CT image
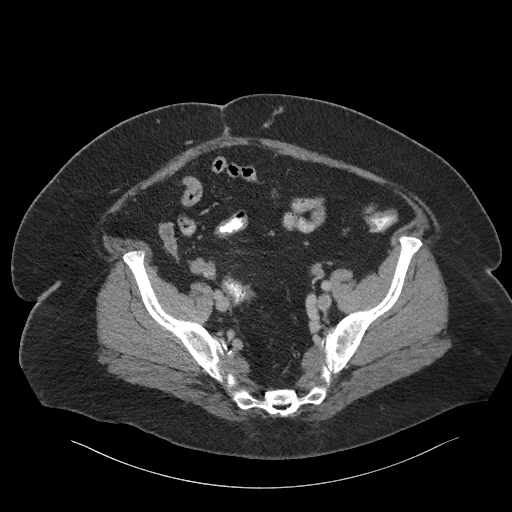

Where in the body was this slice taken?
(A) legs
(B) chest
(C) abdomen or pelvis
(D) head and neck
(C) abdomen or pelvis
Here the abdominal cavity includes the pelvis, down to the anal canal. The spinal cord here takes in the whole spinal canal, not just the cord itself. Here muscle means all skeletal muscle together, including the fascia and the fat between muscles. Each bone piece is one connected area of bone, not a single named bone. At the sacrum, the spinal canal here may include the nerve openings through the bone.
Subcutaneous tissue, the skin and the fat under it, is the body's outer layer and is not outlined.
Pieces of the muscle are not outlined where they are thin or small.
muscle 1: 224 133; 277 139; 343 160; 401 184; 429 206; 442 227; 431 249; 447 289; 451 347; 328 419; 314 424; 286 417; 325 399; 332 375; 346 367; 368 327; 399 298; 423 242; 401 234; 384 296; 369 308; 344 313; 330 290; 331 273; 348 269; 359 282; 376 272; 394 232; 416 216; 412 206; 388 185; 345 169; 259 145; 231 144; 204 151; 139 190; 107 216; 103 229; 145 242; 157 274; 179 292; 187 294; 198 281; 211 288; 212 309; 203 324; 177 318; 158 300; 145 251; 128 250; 121 258; 145 309; 225 385; 238 408; 282 417; 231 422; 108 373; 96 357; 96 296; 108 272; 92 244; 96 222; 124 191; 173 156
muscle 2: 323 339; 324 342; 323 345; 324 363; 321 365; 320 373; 319 374; 319 376; 323 381; 323 383; 313 384; 306 392; 303 394; 299 394; 297 390; 292 387; 292 386; 300 374; 300 366; 301 365; 301 361; 303 354; 305 350
muscle 3: 230 349; 241 355; 247 361; 250 366; 252 379; 258 384; 267 387; 259 397; 253 393; 250 389; 244 386; 236 387; 238 384; 238 380; 234 374; 231 371; 227 372; 225 371; 225 369; 222 365; 221 356; 225 353; 225 351
spinal cord: 274 405; 276 405; 277 406; 281 406; 282 405; 289 405; 288 406; 287 406; 286 407; 285 407; 284 408; 277 408; 276 407; 274 407
abdominal cavity: 231 145; 267 148; 386 185; 415 213; 393 232; 376 271; 359 281; 348 268; 330 273; 329 290; 345 315; 304 350; 291 387; 258 383; 248 361; 203 325; 213 309; 206 282; 179 291; 158 274; 145 241; 104 229; 108 216; 139 191
bones: 401 235; 422 245; 398 298; 367 327; 345 367; 331 375; 324 399; 285 417; 238 407; 226 385; 150 315; 122 258; 143 250; 162 308; 224 342; 221 365; 236 388; 259 398; 267 388; 290 387; 303 395; 324 383; 328 329; 385 296
torso: 254 93; 311 97; 364 113; 440 155; 469 184; 497 232; 502 259; 492 272; 511 297; 511 353; 486 400; 367 444; 281 460; 196 450; 41 403; 18 358; 35 302; 16 294; 10 270; 14 238; 34 198; 78 150; 125 119